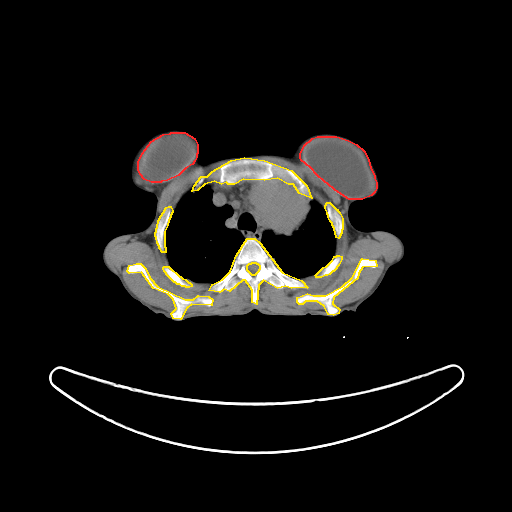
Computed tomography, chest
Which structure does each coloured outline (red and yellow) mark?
red: breast implant; yellow: bones.
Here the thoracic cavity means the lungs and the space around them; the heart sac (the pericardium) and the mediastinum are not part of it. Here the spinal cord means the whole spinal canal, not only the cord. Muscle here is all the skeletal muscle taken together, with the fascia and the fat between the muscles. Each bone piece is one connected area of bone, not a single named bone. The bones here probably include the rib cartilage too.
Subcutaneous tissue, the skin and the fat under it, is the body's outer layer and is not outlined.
{"breast_implant":[[[317,136],[336,136],[348,140],[356,144],[363,150],[368,159],[370,168],[374,175],[374,178],[376,182],[376,188],[374,192],[371,195],[362,199],[349,199],[338,192],[324,181],[317,175],[310,167],[301,160],[300,158],[300,154],[304,145],[312,138]],[[171,132],[184,132],[194,138],[197,144],[197,153],[196,154],[196,157],[194,161],[192,164],[185,168],[178,175],[167,180],[161,181],[160,182],[151,182],[144,179],[140,174],[138,169],[138,162],[142,153],[151,141],[163,134],[170,133]]],"bones":[{"outer":[[247,238],[254,238],[259,242],[282,272],[301,280],[307,287],[291,288],[285,286],[277,288],[263,280],[258,285],[256,304],[252,302],[252,290],[245,280],[242,280],[229,291],[224,289],[219,292],[209,290],[212,284],[222,279],[230,271],[236,255]],"hole":[[252,262],[255,262],[256,263],[257,263],[259,265],[259,269],[258,270],[258,271],[254,275],[252,275],[247,270],[247,265],[249,263],[251,263]]},[[244,157],[264,160],[291,170],[306,185],[311,198],[299,193],[293,184],[288,184],[277,178],[264,180],[243,179],[234,184],[228,184],[226,182],[221,184],[214,181],[204,184],[197,190],[192,191],[194,185],[201,176],[207,176],[212,171],[231,160]],[[136,263],[140,263],[145,268],[149,277],[157,286],[185,299],[193,299],[198,295],[208,296],[212,299],[211,305],[191,304],[186,308],[180,319],[173,318],[171,313],[176,308],[173,299],[168,294],[153,288],[141,272],[129,273],[127,271],[129,265]],[[362,258],[375,260],[376,266],[362,267],[358,273],[357,278],[333,297],[332,303],[339,309],[338,313],[333,315],[328,314],[324,306],[317,301],[305,301],[302,304],[299,304],[297,302],[297,297],[307,293],[313,295],[325,295],[342,286],[352,277]],[[168,206],[170,206],[172,210],[172,212],[170,215],[170,217],[168,220],[167,225],[164,231],[164,246],[165,247],[165,252],[162,252],[159,248],[159,246],[157,243],[156,237],[155,236],[155,232],[156,231],[156,228],[157,227],[158,220],[166,207]],[[327,202],[329,202],[336,209],[337,209],[337,210],[339,212],[342,218],[342,229],[341,230],[341,233],[338,238],[336,237],[334,228],[332,225],[332,223],[330,221],[328,217],[328,215],[327,214],[327,212],[325,208],[325,205]],[[337,255],[339,255],[341,256],[341,259],[338,265],[336,267],[336,268],[333,271],[332,271],[329,274],[327,275],[325,275],[321,277],[316,277],[315,275],[323,267],[326,266],[332,260],[334,256],[336,256]],[[164,266],[168,266],[179,276],[180,276],[182,278],[185,279],[188,282],[189,282],[191,284],[191,286],[189,287],[186,287],[185,286],[182,286],[179,284],[177,284],[175,282],[174,282],[166,274],[166,273],[164,271],[163,269],[163,267]]],"thoracic_cavity":[[[270,179],[277,179],[288,185],[293,185],[299,194],[310,200],[315,200],[325,209],[336,238],[335,247],[331,260],[316,273],[300,279],[285,273],[276,265],[274,258],[264,249],[261,244],[264,231],[258,212],[251,199],[250,190],[253,181],[264,181]],[[204,185],[209,186],[211,190],[211,201],[215,207],[229,206],[231,208],[231,213],[225,218],[224,225],[229,229],[239,232],[244,239],[229,271],[222,278],[211,284],[184,278],[174,271],[170,267],[165,246],[165,231],[172,213],[188,192],[195,192]]],"torso":[[[173,127],[195,134],[204,163],[289,155],[316,132],[353,139],[379,188],[350,205],[349,219],[359,230],[398,236],[402,259],[355,311],[333,318],[253,310],[176,322],[151,311],[102,252],[113,237],[151,222],[156,197],[134,185],[130,165],[147,138]]],"mediastinum":[[[243,180],[254,180],[250,184],[249,196],[257,212],[263,231],[260,242],[254,237],[247,237],[245,239],[239,231],[227,227],[225,220],[231,215],[232,208],[229,205],[217,207],[212,201],[212,190],[209,184],[215,182],[221,185],[224,183],[234,185]]],"muscle":[[[264,156],[293,162],[300,159],[348,199],[344,219],[352,241],[385,233],[399,242],[400,255],[384,266],[363,297],[339,308],[333,303],[334,297],[358,278],[362,268],[377,266],[375,259],[362,257],[342,285],[325,294],[307,292],[295,298],[299,305],[317,302],[326,312],[272,312],[252,306],[237,312],[183,316],[191,305],[210,307],[210,296],[178,296],[157,285],[140,262],[129,264],[129,274],[141,273],[153,289],[172,299],[175,308],[170,314],[136,296],[122,275],[107,263],[107,248],[117,239],[135,238],[151,243],[152,229],[159,216],[159,198],[148,182],[175,178],[191,165],[207,167],[230,160],[201,175],[173,211],[168,205],[159,216],[154,236],[169,262],[169,266],[162,267],[165,274],[186,288],[192,286],[186,279],[210,284],[208,290],[214,293],[229,292],[245,281],[254,305],[259,301],[258,289],[263,281],[277,289],[306,289],[308,285],[302,278],[329,275],[342,259],[341,255],[334,255],[336,240],[343,229],[340,212],[329,201],[324,207],[312,198],[307,185],[291,169],[255,157]]],"spinal_cord":[[[252,262],[255,262],[256,263],[257,263],[259,265],[259,269],[258,270],[258,271],[254,275],[252,275],[247,270],[247,265],[249,263],[251,263]]]}